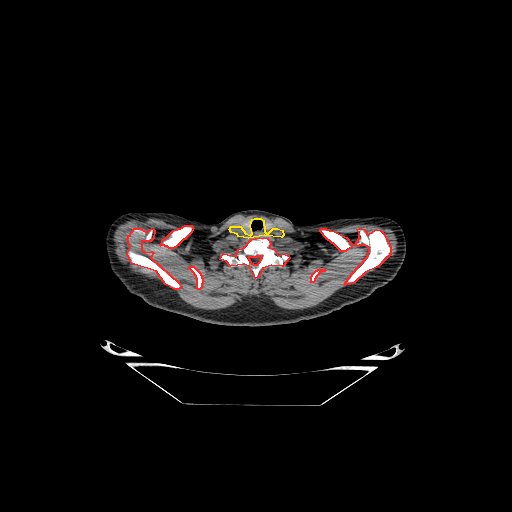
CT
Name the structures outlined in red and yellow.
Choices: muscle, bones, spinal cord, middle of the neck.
red: bones; yellow: middle of the neck.
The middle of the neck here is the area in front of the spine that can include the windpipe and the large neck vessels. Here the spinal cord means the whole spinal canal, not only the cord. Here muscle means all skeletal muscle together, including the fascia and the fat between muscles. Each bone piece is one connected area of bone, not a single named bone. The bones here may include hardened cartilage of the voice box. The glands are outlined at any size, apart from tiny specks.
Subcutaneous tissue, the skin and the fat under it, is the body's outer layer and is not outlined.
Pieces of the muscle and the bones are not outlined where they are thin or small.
The bones appear in 7 outlined pieces: piece 1: 259,237 267,238 270,242 269,247 274,249 277,255 282,253 288,255 289,258 282,266 271,265 262,268 258,277 255,278 249,266 244,264 230,266 226,261 220,259 223,253 236,256 238,249 243,248 251,239; inner edge: 257,255 261,255 261,258 260,259 260,260 259,261 259,262 256,265 254,265 253,264 252,264 251,263 251,262 250,261 250,260 249,259 249,258 248,257 249,256 256,256; piece 2: 360,228 364,229 367,234 376,229 380,230 384,234 390,247 390,254 378,266 365,272 354,282 350,284 344,284 351,274 368,255 369,248 367,246 364,245 359,245 358,246 355,244 359,238 359,233 357,229; piece 3: 134,228 140,228 146,232 152,228 154,230 153,238 150,241 141,241 141,249 144,252 151,251 153,253 150,257 179,283 180,287 178,289 174,289 165,284 156,271 131,263 127,253 130,247 127,238; piece 4: 185,225 191,225 193,228 191,232 184,239 183,239 178,244 178,245 177,245 173,248 169,248 167,246 165,246 164,245 160,245 161,244 162,240 164,238 165,238 173,230 177,229 178,228 180,228; piece 5: 321,228 325,228 326,229 328,229 329,230 334,231 346,237 351,243 351,247 347,249 345,251 341,251 333,243 332,243 329,240 328,240 323,235 323,234 320,231 320,229; piece 6: 190,266 193,266 200,273 200,274 201,275 201,277 202,278 202,283 201,284 201,287 199,289 198,289 197,288 197,279 196,278 196,276 194,274 194,273 189,268 189,267; piece 7: 318,269 323,269 324,270 325,270 324,271 321,271 320,272 319,272 318,273 318,274 315,277 315,278 314,279 314,281 313,282 311,282 311,276 312,275 312,274 316,270 317,270. The middle of the neck is outlined by 254,218 260,218 263,220 264,231 266,233 268,233 273,228 277,228 282,230 283,235 281,237 264,235 248,238 238,236 237,234 231,232 229,229 231,226 240,226 245,233 250,235 252,233 250,225 252,219. The torso is outlined by 250,209 285,216 297,225 311,225 338,218 387,217 396,221 403,230 405,258 395,277 368,297 327,315 295,323 267,326 220,325 156,308 130,293 111,271 105,247 110,224 128,212 168,212 212,224 234,212. The muscle appears in 2 outlined pieces: piece 1: 240,214 280,218 300,231 321,227 322,235 341,252 350,249 352,243 341,233 326,228 378,224 395,231 398,249 382,263 391,254 385,234 378,228 367,233 360,227 356,229 358,238 354,244 368,248 366,257 343,283 348,285 315,306 285,309 254,295 221,309 197,308 175,290 181,287 180,283 151,257 154,253 142,249 142,241 148,243 154,238 156,232 152,227 147,231 134,227 126,238 129,243 126,253 132,265 156,272 162,282 132,272 118,259 114,251 114,231 120,224 135,218 158,218 182,225 160,242 160,246 173,249 192,232 192,225 220,226, around holes outlined by 248,218 267,218 274,229 282,230 281,237 263,236 269,240 269,247 277,255 285,253 289,257 280,267 271,265 262,268 257,278 249,266 230,266 220,259 223,253 236,256 237,250 251,239 238,236 229,229 and by 190,266 193,266 200,273 200,274 201,275 201,277 202,278 202,283 201,284 201,287 199,289 198,289 197,288 197,279 196,278 196,276 194,274 194,273 189,268 189,267 and by 318,269 323,269 324,270 325,270 324,271 321,271 320,272 319,272 318,273 318,274 315,277 315,278 314,279 314,281 313,282 311,282 311,276 312,275 312,274 316,270 317,270; piece 2: 381,264 381,265 375,271 373,271 372,272 370,272 368,275 367,275 366,276 363,276 362,277 359,278 360,277 361,277 365,273 371,271 373,269 374,269 375,268 378,267. The spinal cord is outlined by 257,255 261,255 261,258 260,259 260,260 259,261 259,262 256,265 254,265 253,264 252,264 251,263 251,262 250,261 250,260 249,259 249,258 248,257 249,256 256,256. The thyroid glands appear in 2 outlined pieces: piece 1: 248,218 250,218 251,219 251,220 250,221 250,224 249,225 249,228 251,230 251,233 250,234 248,234 246,232 245,232 243,230 243,229 242,228 242,227 240,225 242,222 243,222 246,219 247,219; piece 2: 265,218 267,218 268,219 269,219 270,220 270,221 273,224 273,227 268,232 266,232 265,231 265,222 264,221 264,219.